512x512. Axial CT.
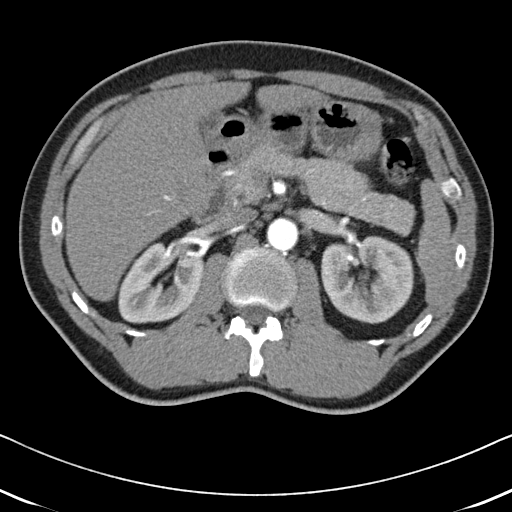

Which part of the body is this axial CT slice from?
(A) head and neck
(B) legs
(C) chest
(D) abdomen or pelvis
(D) abdomen or pelvis
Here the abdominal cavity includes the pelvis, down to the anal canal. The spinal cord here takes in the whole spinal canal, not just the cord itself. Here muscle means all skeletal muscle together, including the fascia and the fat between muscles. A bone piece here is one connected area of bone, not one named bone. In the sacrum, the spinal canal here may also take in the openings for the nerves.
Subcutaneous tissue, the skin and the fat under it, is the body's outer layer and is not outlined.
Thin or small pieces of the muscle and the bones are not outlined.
bones 1: 256,246 264,246 286,256 295,273 297,288 290,305 276,314 283,337 263,342 260,348 263,365 259,375 251,376 251,348 247,340 235,334 228,339 224,337 230,319 238,310 228,300 222,287 222,272 235,253, around a hole outlined by 247,305 261,305 267,308 269,310 270,310 272,314 270,314 268,315 265,318 264,320 264,325 259,325 258,326 257,325 249,325 246,323 246,321 239,314 239,311 240,309 244,306 246,306
bones 2: 98,119 101,119 102,121 98,131 94,136 91,142 87,146 85,151 83,152 81,157 78,160 78,161 73,165 70,164 68,160 72,152 72,150 74,148 75,145 80,138 82,137 88,128 93,123 93,122
bones 3: 449,176 451,176 453,177 456,180 456,181 461,188 461,190 462,191 462,195 460,199 458,199 457,200 455,200 454,199 451,199 449,197 448,197 444,192 444,188 441,183 442,182 442,180 445,179
bones 4: 429,312 430,312 432,314 432,318 429,324 426,327 426,328 419,335 415,337 413,337 411,336 410,334 412,332 415,325 420,320 421,320 424,317 424,316 426,315 426,314 427,314
bones 5: 73,290 76,290 76,291 78,293 78,294 82,298 82,299 87,304 89,309 94,314 94,316 92,316 89,314 86,314 85,313 84,313 80,309 80,308 74,302 74,301 72,299 72,297 71,296 71,292
spinal cord: 247,305 261,305 267,308 269,310 270,310 272,314 270,314 268,315 265,318 264,320 264,325 259,325 258,326 257,325 249,325 246,323 246,321 239,314 239,311 240,309 244,306 246,306
torso: 222,40 324,48 411,81 445,109 483,176 493,211 494,245 482,304 463,333 431,365 378,407 327,414 253,392 177,405 139,403 100,382 28,293 18,254 20,205 33,163 63,115 88,89 122,68 176,48
abdominal cavity: 258,77 384,104 409,119 456,223 449,281 404,332 346,337 324,318 314,264 304,257 291,263 264,245 229,259 210,254 193,304 160,328 112,321 79,294 62,253 64,195 78,167 118,119 148,96 182,84
muscle: 231,68 245,68 265,72 276,72 291,69 293,70 304,69 305,70 325,71 330,73 341,74 375,85 381,89 393,93 403,99 415,101 425,106 432,111 441,122 455,150 458,162 464,171 473,190 477,204 477,221 475,231 476,234 476,252 473,260 473,267 471,272 471,276 467,283 467,288 464,291 459,304 456,307 453,314 445,326 434,338 420,349 401,358 387,372 385,376 377,385 360,395 345,399 341,398 338,399 318,399 317,398 301,397 282,390 275,389 269,385 260,382 258,379 253,380 249,379 245,376 227,382 219,382 218,383 214,382 190,387 183,387 178,389 153,389 144,386 130,377 123,370 112,354 104,346 85,333 73,321 68,313 60,304 54,287 49,280 43,267 39,247 40,211 47,184 47,180 49,176 49,172 52,163 66,137 84,114 92,107 108,98 132,91 165,76 179,72 192,70 230,69, around holes outlined by 258,77 384,104 409,119 434,181 455,212 455,244 463,244 466,251 464,266 458,269 453,265 445,289 428,310 431,321 419,335 410,335 414,323 379,345 346,337 325,320 317,271 304,257 290,264 297,288 290,305 276,314 283,337 263,342 263,365 257,376 249,374 251,348 247,340 235,334 224,337 238,310 222,287 222,272 229,258 221,252 207,258 193,304 171,323 143,329 146,336 127,334 129,326 104,317 89,305 94,316 86,314 72,299 71,292 77,287 63,257 62,235 51,233 51,219 55,214 63,217 68,182 118,119 141,100 177,85 and by 98,119 101,119 102,121 98,131 94,136 91,142 87,146 85,151 83,152 81,157 78,160 78,161 73,165 70,164 68,160 72,152 72,150 74,148 75,145 80,138 82,137 88,128 93,123 93,122 and by 449,176 451,176 453,177 456,180 456,181 461,188 461,190 462,191 462,195 460,199 458,199 457,200 455,200 454,199 451,199 449,197 448,197 444,192 444,188 441,183 442,182 442,180 445,179 and by 414,110 416,110 419,113 420,113 421,114 422,114 423,115 423,116 424,117 424,118 425,119 425,120 427,122 427,133 425,133 424,134 423,133 422,133 422,126 421,125 421,124 415,118 415,117 414,116